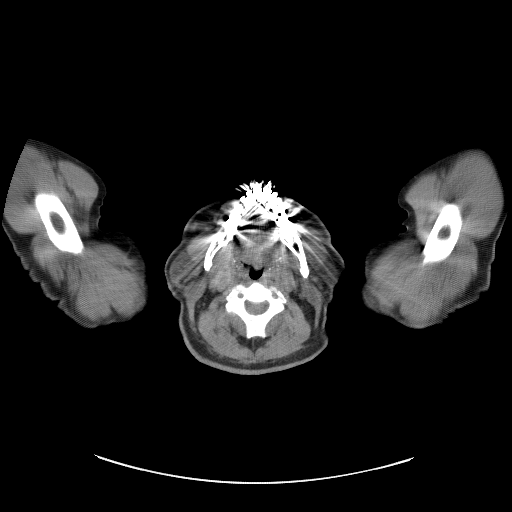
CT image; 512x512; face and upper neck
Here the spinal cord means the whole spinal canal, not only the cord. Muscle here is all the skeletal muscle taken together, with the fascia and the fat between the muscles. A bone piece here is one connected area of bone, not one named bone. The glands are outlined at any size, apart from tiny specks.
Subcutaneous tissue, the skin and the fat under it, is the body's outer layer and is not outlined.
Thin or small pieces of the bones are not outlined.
The spinal cord is outlined by 246 301; 248 301; 251 303; 261 303; 262 302; 266 302; 268 305; 267 306; 267 308; 263 312; 262 312; 261 313; 258 313; 257 314; 254 314; 253 313; 250 313; 247 310; 247 309; 246 308; 246 306; 245 305; 245 302. The head and neck is outlined by 253 179; 257 182; 270 181; 322 220; 330 233; 333 246; 344 261; 345 272; 334 289; 327 310; 327 346; 313 359; 297 366; 259 375; 242 375; 206 365; 188 350; 178 324; 179 303; 167 286; 164 264; 195 211; 225 197; 234 188 with a hole at 251 268; 252 268; 254 270; 261 270; 261 275; 260 275; 257 278; 256 278; 255 279; 254 279; 253 278; 252 278; 250 276; 250 275; 249 274; 249 272; 250 271; 250 269. The parotid glands appear in 2 outlined pieces: piece 1: 181 251; 186 251; 186 253; 188 257; 192 261; 192 266; 188 271; 188 272; 180 279; 179 281; 180 287; 178 287; 174 283; 172 279; 172 276; 171 275; 171 267; 172 266; 172 264; 174 260; 177 257; 176 256; 179 253; 179 252; piece 2: 324 258; 326 258; 330 260; 333 266; 333 274; 334 275; 333 276; 334 277; 333 279; 329 281; 328 283; 326 283; 326 282; 324 281; 321 278; 319 274; 319 272; 318 271; 318 266; 319 265; 319 263; 320 261. The muscle appears in 3 outlined pieces: piece 1: 251 182; 269 183; 272 187; 276 187; 294 203; 308 223; 319 232; 321 241; 328 253; 328 258; 324 257; 319 261; 317 271; 320 278; 327 284; 324 288; 325 293; 323 295; 316 335; 308 347; 275 361; 242 364; 227 358; 218 357; 208 351; 198 341; 190 327; 180 281; 193 266; 193 261; 187 251; 182 250; 196 233; 198 224; 217 210; 232 194; 243 190; 241 186; 248 185 with holes at 245 189; 270 189; 282 199; 289 218; 300 232; 309 267; 306 278; 300 273; 298 258; 281 240; 276 215; 263 203; 252 206; 241 216; 237 235; 215 253; 209 270; 204 269; 209 236; 221 227; 220 222; 227 217; 231 203; 244 195 and at 251 268; 261 270; 261 275; 255 279; 257 281; 267 286; 275 286; 287 300; 284 309; 275 314; 266 324; 264 337; 247 338; 246 327; 241 318; 236 314; 228 313; 225 309; 225 297; 229 290; 238 283; 248 285; 254 279; 249 274; piece 2: 468 152; 479 152; 492 158; 505 202; 493 230; 484 239; 475 279; 461 295; 446 305; 434 320; 423 325; 413 325; 401 315; 381 310; 370 302; 366 292; 369 270; 383 250; 410 235; 414 215; 404 199; 408 188; 420 176; 444 168, around a hole outlined by 445 202; 452 202; 457 204; 460 207; 460 211; 462 217; 462 225; 459 233; 459 236; 452 251; 444 260; 440 262; 422 266; 421 265; 421 261; 422 260; 421 252; 426 239; 426 234; 428 233; 433 226; 433 224; 438 214; 438 209; piece 3: 26 144; 75 163; 86 170; 96 182; 98 194; 90 213; 92 232; 98 240; 114 244; 135 258; 143 280; 143 301; 131 314; 119 314; 99 320; 82 316; 63 288; 56 286; 34 261; 29 243; 11 227; 6 215; 3 215; 10 182, around a hole outlined by 39 191; 45 191; 46 192; 50 192; 51 191; 54 192; 59 197; 71 216; 78 231; 78 233; 83 242; 84 247; 82 254; 75 255; 68 252; 63 252; 59 250; 48 238; 44 224; 42 222; 39 214; 36 211; 34 205; 34 196. The right arm is outlined by 29 137; 45 140; 90 165; 106 186; 100 208; 99 226; 105 231; 123 231; 141 248; 147 261; 151 297; 147 309; 130 321; 93 329; 80 327; 56 307; 55 301; 42 294; 39 285; 31 281; 22 268; 3 230; 2 221; 10 182. The left arm is outlined by 466 144; 481 145; 489 152; 507 209; 495 244; 489 289; 476 303; 458 310; 441 325; 425 332; 408 329; 390 318; 370 313; 363 307; 359 295; 363 257; 373 242; 393 238; 406 229; 402 221; 407 212; 397 203; 399 189; 417 171. The bones appear in 4 outlined pieces: piece 1: 245 189; 270 189; 282 199; 289 218; 300 232; 309 267; 306 278; 300 273; 298 258; 281 240; 276 215; 263 203; 252 206; 241 216; 237 235; 215 253; 209 270; 204 269; 209 236; 221 227; 220 222; 227 217; 231 203; 244 195; piece 2: 252 280; 259 281; 267 286; 275 286; 280 290; 287 300; 284 304; 284 309; 275 314; 266 324; 266 335; 264 337; 253 336; 247 338; 246 327; 241 318; 236 314; 228 313; 225 309; 225 297; 229 290; 238 283; 248 285; inner edge: 246 301; 248 301; 251 303; 261 303; 262 302; 266 302; 268 305; 267 306; 267 308; 263 312; 262 312; 261 313; 258 313; 257 314; 254 314; 253 313; 250 313; 247 310; 247 309; 246 308; 246 306; 245 305; 245 302; piece 3: 39 191; 45 191; 46 192; 50 192; 51 191; 54 192; 59 197; 71 216; 78 231; 78 233; 83 242; 84 247; 82 254; 75 255; 68 252; 63 252; 59 250; 48 238; 44 224; 42 222; 39 214; 36 211; 34 205; 34 196; piece 4: 445 202; 452 202; 457 204; 460 207; 460 211; 462 217; 462 225; 459 233; 459 236; 452 251; 444 260; 440 262; 422 266; 421 265; 421 261; 422 260; 421 252; 426 239; 426 234; 428 233; 433 226; 433 224; 438 214; 438 209.